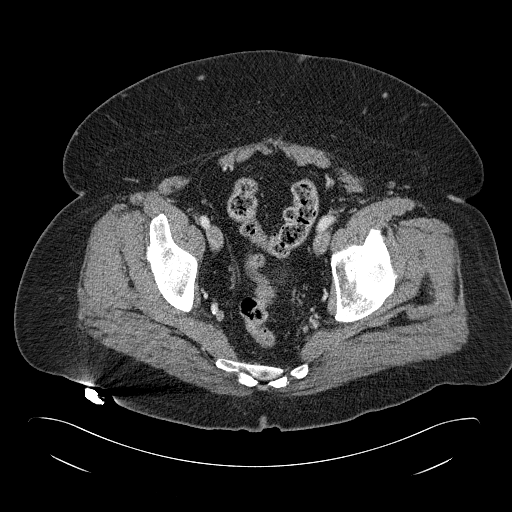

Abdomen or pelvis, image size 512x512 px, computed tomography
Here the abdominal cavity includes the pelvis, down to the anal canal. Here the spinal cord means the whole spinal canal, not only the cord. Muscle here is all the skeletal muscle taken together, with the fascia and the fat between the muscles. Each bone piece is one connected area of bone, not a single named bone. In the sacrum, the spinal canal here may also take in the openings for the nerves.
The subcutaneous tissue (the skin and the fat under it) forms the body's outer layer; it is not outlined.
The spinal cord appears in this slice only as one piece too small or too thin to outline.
The muscle is outlined by [[264,138],[280,138],[329,152],[368,182],[416,200],[453,229],[460,251],[469,328],[468,340],[460,350],[437,359],[390,367],[309,395],[279,396],[259,390],[245,396],[224,396],[92,343],[78,333],[76,286],[87,240],[101,209],[160,171],[202,154]] with a hole at [[256,151],[282,152],[299,166],[332,173],[353,201],[331,237],[331,252],[362,244],[370,228],[379,228],[397,275],[381,306],[352,322],[335,320],[332,282],[319,326],[282,366],[288,372],[306,363],[307,374],[290,375],[278,388],[244,385],[236,372],[217,367],[220,357],[245,360],[202,305],[199,273],[185,312],[160,293],[146,258],[150,221],[163,213],[174,242],[199,267],[205,239],[176,195],[207,164],[231,166]]. The abdominal cavity is outlined by [[256,151],[262,154],[278,151],[299,166],[313,164],[325,168],[353,200],[331,237],[332,282],[320,324],[305,338],[295,360],[282,367],[239,357],[224,330],[202,305],[198,272],[205,239],[201,230],[190,223],[176,198],[198,169],[216,163],[231,166]]. The bones appear in 3 outlined pieces: piece 1: [[372,227],[379,228],[384,236],[384,242],[389,253],[391,265],[397,275],[394,290],[385,299],[381,306],[365,317],[352,322],[338,322],[334,318],[336,311],[336,291],[335,285],[332,281],[330,257],[333,252],[341,250],[348,245],[362,244],[369,229]]; piece 2: [[160,213],[163,213],[168,220],[171,236],[174,242],[181,248],[192,254],[197,259],[198,262],[198,271],[194,283],[193,306],[191,310],[188,312],[182,311],[174,307],[163,297],[156,285],[150,265],[146,258],[146,247],[149,244],[149,224],[151,219]]; piece 3: [[220,357],[278,366],[286,372],[300,364],[306,363],[308,365],[308,372],[302,378],[296,378],[290,375],[288,377],[289,383],[284,387],[276,388],[265,385],[267,380],[260,380],[258,384],[250,387],[238,382],[236,372],[226,371],[217,367],[215,361]]. The torso is outlined by [[254,49],[338,57],[392,74],[435,100],[471,141],[484,181],[467,201],[492,230],[511,296],[505,377],[441,384],[331,425],[252,432],[151,417],[117,403],[117,389],[50,374],[23,358],[15,297],[37,239],[77,195],[62,172],[76,127],[152,73]].